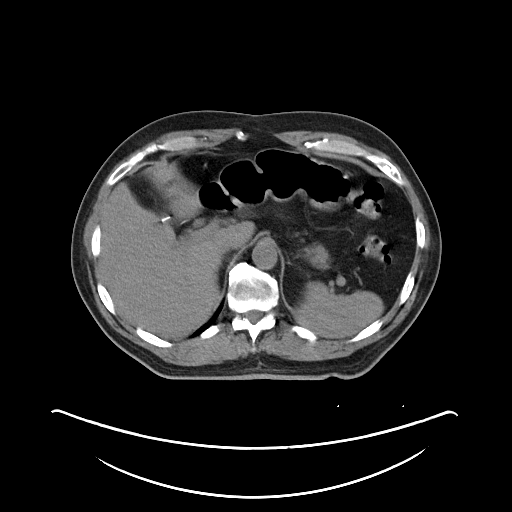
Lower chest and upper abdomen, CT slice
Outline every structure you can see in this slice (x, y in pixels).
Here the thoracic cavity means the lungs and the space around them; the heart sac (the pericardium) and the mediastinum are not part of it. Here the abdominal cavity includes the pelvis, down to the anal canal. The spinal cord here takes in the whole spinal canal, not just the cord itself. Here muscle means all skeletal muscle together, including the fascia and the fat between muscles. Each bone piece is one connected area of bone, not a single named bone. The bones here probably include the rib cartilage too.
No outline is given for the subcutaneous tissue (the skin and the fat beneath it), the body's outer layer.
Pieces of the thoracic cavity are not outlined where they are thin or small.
Outlines:
thoracic cavity: (225, 294) (225, 302) (223, 305) (223, 307) (221, 310) (219, 318) (217, 320) (217, 321) (215, 323) (208, 326) (197, 336) (192, 336) (194, 332) (196, 330) (197, 330) (198, 328) (205, 324) (211, 318) (211, 317) (214, 314) (216, 310) (223, 301) (223, 299) (225, 297)
mediastinum: (262, 236) (271, 236) (272, 238) (275, 238) (275, 239) (277, 240) (277, 243) (279, 244) (279, 247) (281, 250) (281, 261) (280, 262) (279, 273) (277, 276) (277, 278) (274, 277) (268, 272) (264, 271) (246, 261) (240, 261) (244, 252) (245, 252) (258, 238) (260, 238)
spinal cord: (250, 310) (258, 310) (259, 311) (261, 311) (263, 313) (263, 315) (260, 318) (260, 319) (259, 319) (256, 322) (255, 322) (254, 323) (252, 323) (244, 315) (244, 314) (246, 312) (247, 312) (248, 311) (249, 311)
muscle 1: (214, 128) (240, 128) (249, 132) (251, 134) (263, 133) (264, 132) (275, 132) (277, 133) (278, 132) (294, 131) (295, 130) (310, 130) (311, 131) (337, 132) (338, 133) (341, 133) (351, 136) (357, 140) (364, 143) (366, 145) (374, 147) (384, 152) (400, 167) (402, 171) (405, 174) (406, 177) (411, 183) (417, 196) (419, 198) (419, 200) (426, 215) (428, 225) (429, 226) (429, 230) (430, 231) (430, 247) (427, 252) (427, 255) (424, 264) (424, 271) (413, 304) (406, 316) (397, 326) (385, 336) (354, 351) (351, 354) (343, 357) (325, 359) (324, 360) (300, 361) (299, 360) (285, 359) (272, 354) (263, 354) (257, 356) (251, 356) (250, 357) (245, 357) (244, 358) (225, 360) (221, 363) (196, 365) (195, 366) (177, 365) (176, 364) (166, 362) (149, 350) (134, 343) (129, 339) (126, 338) (114, 330) (110, 326) (103, 317) (96, 305) (94, 296) (88, 279) (88, 273) (87, 272) (87, 268) (85, 266) (84, 251) (83, 250) (83, 228) (89, 211) (101, 185) (113, 167) (119, 161) (130, 153) (140, 148) (148, 142) (155, 139) (160, 135) (170, 131) (175, 131) (176, 130) (213, 129), around a hole outlined by (238, 130) (247, 138) (271, 136) (301, 150) (352, 161) (388, 180) (363, 157) (306, 148) (306, 141) (324, 137) (343, 140) (385, 157) (398, 169) (413, 217) (418, 216) (424, 226) (425, 246) (414, 249) (409, 268) (414, 283) (409, 296) (402, 304) (398, 297) (395, 300) (380, 318) (383, 322) (377, 331) (353, 342) (347, 341) (349, 337) (323, 335) (311, 342) (291, 330) (297, 323) (280, 295) (272, 309) (275, 325) (258, 334) (254, 352) (248, 332) (233, 330) (234, 312) (226, 301) (215, 323) (218, 332) (160, 347) (141, 338) (133, 323) (104, 305) (97, 290) (98, 282) (104, 284) (100, 258) (92, 253) (91, 237) (113, 187) (106, 183) (110, 174) (152, 143) (192, 136) (197, 138) (198, 148) (212, 147) (237, 140)
muscle 2: (158, 151) (170, 151) (170, 152) (161, 156) (159, 158) (158, 158) (153, 161) (143, 163) (142, 164) (141, 164) (133, 171) (128, 173) (133, 168) (133, 167) (134, 166) (135, 166) (139, 162) (142, 161) (145, 158) (145, 157) (146, 157) (150, 154) (153, 154)
bones 1: (239, 262) (246, 262) (275, 278) (279, 291) (278, 303) (272, 309) (276, 320) (275, 325) (269, 329) (262, 330) (258, 334) (254, 343) (254, 352) (250, 350) (252, 343) (248, 332) (245, 329) (233, 330) (231, 319) (234, 312) (228, 307) (226, 301) (229, 272) (232, 267), around a hole outlined by (250, 310) (258, 310) (259, 311) (261, 311) (263, 313) (263, 315) (260, 318) (260, 319) (259, 319) (256, 322) (255, 322) (254, 323) (252, 323) (244, 315) (244, 314) (246, 312) (247, 312) (248, 311) (249, 311)
bones 2: (324, 137) (329, 139) (343, 140) (355, 144) (371, 153) (385, 157) (398, 169) (404, 181) (404, 184) (401, 186) (398, 185) (371, 162) (363, 157) (339, 153) (322, 153) (312, 148) (306, 148) (304, 146) (304, 143) (306, 141) (315, 141) (322, 139)
bones 3: (180, 136) (192, 136) (197, 138) (198, 140) (197, 147) (184, 148) (174, 151) (158, 150) (153, 153) (150, 153) (134, 165) (125, 175) (120, 178) (113, 185) (108, 185) (106, 183) (110, 174) (120, 164) (126, 161) (135, 153) (141, 151) (152, 143) (158, 144) (168, 139)
bones 4: (136, 327) (140, 327) (142, 329) (143, 329) (164, 340) (166, 340) (167, 341) (169, 341) (170, 342) (171, 342) (172, 343) (172, 346) (171, 346) (170, 347) (160, 347) (159, 346) (156, 346) (155, 345) (144, 340) (142, 338) (141, 338) (135, 332) (135, 329) (136, 328)
bones 5: (378, 319) (382, 319) (383, 320) (383, 322) (382, 323) (382, 325) (377, 331) (376, 331) (371, 335) (367, 337) (365, 337) (360, 340) (354, 341) (353, 342) (348, 342) (347, 341) (350, 338) (353, 337) (356, 334) (357, 334) (361, 330) (368, 326) (372, 322)
bones 6: (409, 271) (411, 271) (413, 273) (413, 274) (414, 275) (414, 283) (413, 284) (413, 287) (412, 288) (412, 289) (409, 294) (409, 296) (407, 298) (407, 299) (402, 304) (400, 304) (399, 303) (399, 295) (400, 294) (401, 289) (403, 286) (403, 284) (405, 281) (406, 276)
bones 7: (98, 282) (100, 282) (105, 287) (105, 288) (107, 290) (112, 300) (112, 302) (113, 303) (113, 305) (114, 306) (114, 308) (116, 312) (115, 314) (113, 314) (111, 313) (107, 309) (107, 308) (104, 305) (103, 302) (101, 300) (99, 296) (98, 291) (97, 290) (97, 283)
bones 8: (417, 216) (418, 216) (419, 217) (419, 218) (420, 219) (420, 220) (422, 222) (422, 223) (423, 224) (423, 225) (424, 226) (424, 230) (425, 231) (425, 246) (423, 248) (420, 248) (419, 247) (418, 247) (417, 246) (416, 246) (416, 232) (415, 231) (415, 218)
bones 9: (292, 325) (298, 325) (299, 326) (301, 326) (304, 328) (306, 328) (307, 329) (312, 331) (316, 334) (316, 335) (317, 336) (317, 339) (314, 342) (311, 342) (307, 339) (306, 339) (303, 337) (301, 337) (300, 336) (299, 336) (294, 331) (292, 331) (291, 330) (291, 326)
bones 10: (97, 224) (98, 224) (100, 227) (100, 239) (99, 240) (99, 255) (98, 256) (97, 256) (96, 257) (95, 257) (93, 255) (93, 254) (92, 253) (92, 250) (91, 249) (91, 237) (92, 236) (92, 233) (93, 232) (93, 230) (94, 229) (94, 228) (95, 227) (95, 226)
bones 11: (214, 324) (218, 324) (219, 325) (219, 330) (218, 331) (218, 332) (217, 332) (212, 336) (211, 336) (210, 337) (208, 337) (207, 338) (204, 338) (203, 339) (202, 339) (199, 337) (199, 335) (204, 330) (205, 330) (208, 327) (209, 327) (210, 326) (211, 326)
bones 12: (238, 130) (241, 130) (245, 134) (245, 135) (246, 136) (246, 139) (245, 140) (243, 140) (242, 141) (241, 140) (239, 140) (236, 137) (236, 136) (235, 135) (235, 133)
torso: (204, 109) (249, 114) (293, 110) (344, 113) (378, 127) (409, 160) (439, 222) (442, 243) (439, 272) (416, 319) (366, 373) (352, 379) (331, 376) (322, 380) (167, 379) (115, 345) (90, 314) (75, 285) (70, 263) (73, 224) (89, 183) (109, 154) (138, 128) (168, 114)
abdominal cavity: (253, 136) (271, 136) (301, 150) (355, 162) (391, 180) (409, 202) (415, 248) (398, 297) (351, 337) (324, 337) (297, 324) (280, 295) (282, 250) (271, 235) (258, 237) (231, 267) (222, 301) (191, 337) (164, 339) (116, 311) (99, 257) (100, 224) (113, 186) (171, 152)